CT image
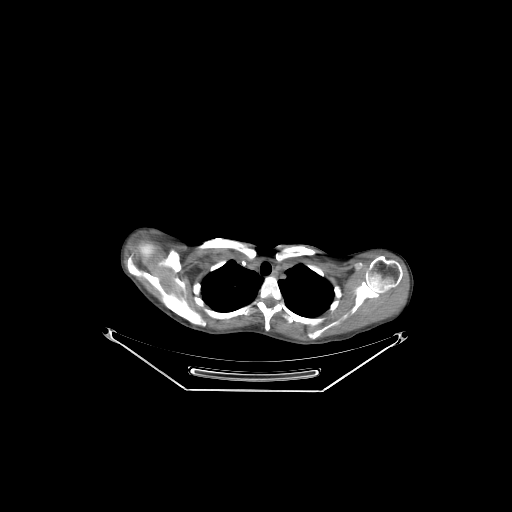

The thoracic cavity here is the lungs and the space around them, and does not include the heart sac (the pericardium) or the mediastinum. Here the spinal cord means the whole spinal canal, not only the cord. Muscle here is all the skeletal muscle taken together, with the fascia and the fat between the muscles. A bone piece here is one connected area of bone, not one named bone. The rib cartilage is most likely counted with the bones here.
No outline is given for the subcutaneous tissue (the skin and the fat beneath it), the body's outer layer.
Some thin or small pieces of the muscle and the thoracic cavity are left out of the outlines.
The spinal cord is outlined by [[268,297],[271,297],[272,298],[273,298],[273,299],[275,301],[275,303],[272,306],[267,306],[266,305],[266,304],[265,303],[265,302],[264,301],[264,299],[265,299],[266,298],[267,298]]. The right arm is outlined by [[140,226],[154,226],[157,228],[159,228],[163,230],[165,232],[165,234],[163,238],[157,244],[151,247],[148,247],[147,248],[140,248],[139,249],[125,249],[124,250],[120,250],[120,246],[124,238],[126,236],[126,235],[134,228],[136,228]]. The muscle appears in 4 outlined pieces: piece 1: [[373,251],[384,251],[397,256],[402,260],[408,272],[409,289],[407,298],[396,314],[346,333],[316,339],[352,315],[366,299],[377,298],[399,285],[404,274],[401,264],[394,258],[378,254],[369,262],[364,269],[363,279],[354,287],[354,303],[350,309],[339,318],[312,331],[308,331],[306,335],[311,340],[302,341],[269,331],[271,328],[271,318],[281,311],[283,312],[282,317],[289,324],[297,322],[315,327],[323,323],[326,319],[322,315],[325,311],[333,312],[338,307],[342,296],[340,286],[336,283],[333,285],[325,277],[324,271],[317,265],[311,263],[307,263],[306,265],[300,261],[280,262],[294,257],[313,256],[317,252],[320,256],[333,261],[344,262]], around a hole outlined by [[359,261],[360,261],[363,264],[363,267],[360,270],[358,270],[357,271],[354,268],[354,264],[355,263],[356,263],[357,262],[358,262]]; piece 2: [[140,230],[153,231],[165,240],[184,244],[188,247],[196,247],[197,249],[228,248],[243,254],[247,259],[236,260],[231,258],[227,260],[223,258],[213,263],[209,267],[208,272],[203,277],[201,282],[196,280],[192,284],[192,299],[205,314],[213,319],[218,320],[226,320],[241,315],[248,316],[252,314],[256,308],[263,316],[263,328],[258,325],[249,325],[218,331],[205,327],[207,322],[203,315],[189,304],[185,296],[178,296],[173,291],[168,292],[161,283],[161,278],[152,272],[161,267],[169,268],[174,273],[177,273],[182,269],[180,254],[172,247],[168,250],[166,256],[156,260],[156,245],[151,240],[142,240],[127,257],[125,267],[123,261],[125,245],[129,238]]; inner edge: [[173,277],[177,277],[180,280],[181,280],[184,283],[184,284],[185,285],[185,289],[186,290],[186,292],[185,293],[185,294],[185,293],[183,291],[183,290],[179,286],[178,286],[177,285],[176,285],[176,284],[173,281],[173,280],[172,279],[173,278]]; piece 3: [[134,276],[135,276],[136,277],[139,277],[140,278],[143,278],[144,279],[145,279],[159,293],[159,294],[160,295],[160,300],[161,301],[161,302],[164,305],[164,306],[155,297],[154,297],[135,278],[135,277]]; piece 4: [[257,251],[258,252],[262,252],[263,253],[272,253],[273,252],[276,252],[274,254],[274,257],[275,258],[275,259],[276,260],[276,261],[275,260],[274,260],[273,259],[271,259],[270,258],[255,258],[255,257],[257,255]]. The thoracic cavity appears in 2 outlined pieces: piece 1: [[231,259],[237,261],[236,262],[239,265],[241,265],[247,269],[255,271],[262,276],[263,279],[258,288],[255,297],[250,302],[231,311],[217,311],[212,309],[205,303],[201,296],[202,288],[201,283],[204,277],[209,272],[212,272],[220,268],[227,261]]; piece 2: [[297,262],[298,263],[300,262],[304,264],[309,269],[321,277],[324,277],[332,285],[333,299],[331,301],[328,308],[319,316],[307,317],[300,315],[291,310],[285,303],[284,297],[278,283],[278,279],[283,279],[285,277],[284,272],[287,269],[292,267]]. The torso is outlined by [[166,232],[188,242],[216,238],[244,240],[264,250],[281,243],[311,244],[336,256],[362,250],[367,282],[386,302],[404,313],[376,329],[347,340],[321,345],[295,345],[257,333],[211,335],[190,329],[150,303],[120,267],[119,251],[151,248],[164,238]]. The mediastinum is outlined by [[248,259],[249,260],[253,259],[270,259],[275,261],[277,263],[279,262],[284,264],[292,262],[294,264],[292,266],[287,268],[283,272],[284,274],[283,278],[277,278],[273,275],[267,275],[264,277],[255,270],[247,268],[237,262],[239,260],[247,260]]. The left arm is outlined by [[375,247],[388,248],[398,252],[407,260],[412,270],[413,277],[414,278],[414,287],[413,288],[413,293],[412,294],[412,297],[410,303],[405,312],[402,312],[398,310],[386,301],[371,286],[366,278],[365,268],[363,263],[363,250],[368,248],[374,248]]. The bones appear in 10 outlined pieces: piece 1: [[145,240],[155,245],[156,261],[166,257],[172,248],[179,254],[179,271],[161,266],[151,272],[160,278],[160,283],[168,293],[184,296],[188,304],[202,315],[205,326],[193,324],[170,310],[162,302],[160,293],[145,278],[127,270],[128,257]]; piece 2: [[267,276],[277,279],[284,303],[291,311],[307,318],[325,318],[315,326],[289,323],[281,310],[270,318],[266,331],[264,316],[256,307],[248,315],[218,319],[205,313],[193,299],[192,287],[197,281],[201,284],[200,296],[209,308],[231,312],[250,303]] with a hole at [[268,297],[271,297],[272,298],[273,298],[273,299],[275,301],[275,303],[272,306],[267,306],[266,305],[266,304],[265,303],[265,302],[264,301],[264,299],[265,299],[266,298],[267,298]]; piece 3: [[378,255],[383,255],[388,259],[394,259],[400,264],[403,274],[398,285],[381,293],[377,297],[366,298],[352,314],[340,323],[327,329],[315,339],[311,339],[307,335],[308,332],[312,332],[339,319],[351,309],[355,303],[354,289],[364,279],[365,269]]; piece 4: [[216,238],[225,238],[226,239],[238,240],[242,242],[247,242],[251,244],[252,247],[255,249],[256,255],[254,258],[249,259],[243,253],[235,249],[229,248],[228,247],[205,247],[204,248],[197,248],[197,246],[200,245],[203,242],[208,240],[212,240]]; piece 5: [[288,245],[303,245],[304,246],[309,247],[315,250],[316,252],[313,255],[300,255],[299,256],[294,256],[293,257],[289,257],[281,261],[277,261],[275,257],[275,254],[278,251],[285,248],[286,246]]; piece 6: [[336,284],[339,286],[339,287],[341,290],[341,296],[339,299],[339,303],[338,304],[337,307],[333,311],[330,311],[328,309],[329,308],[329,307],[330,306],[330,305],[331,304],[332,301],[334,299],[334,290],[333,289],[333,286]]; piece 7: [[173,277],[177,277],[180,280],[181,280],[184,283],[184,284],[185,285],[185,289],[186,290],[186,292],[185,293],[185,294],[185,293],[183,291],[183,290],[179,286],[178,286],[177,285],[176,285],[176,284],[173,281],[173,280],[172,279],[173,278]]; piece 8: [[307,264],[311,264],[312,265],[314,265],[315,266],[317,266],[319,268],[320,268],[323,271],[323,272],[324,273],[324,276],[321,276],[319,274],[318,274],[316,272],[315,272],[313,270],[312,270],[310,268],[309,268],[307,266]]; piece 9: [[223,259],[225,259],[226,260],[226,262],[224,264],[223,264],[220,267],[219,267],[218,268],[217,268],[216,269],[215,269],[212,271],[209,271],[209,269],[210,268],[210,267],[213,264],[214,264],[215,263],[218,262],[220,260],[222,260]]; piece 10: [[359,261],[360,261],[363,264],[363,267],[360,270],[358,270],[357,271],[354,268],[354,264],[355,263],[356,263],[357,262],[358,262]].